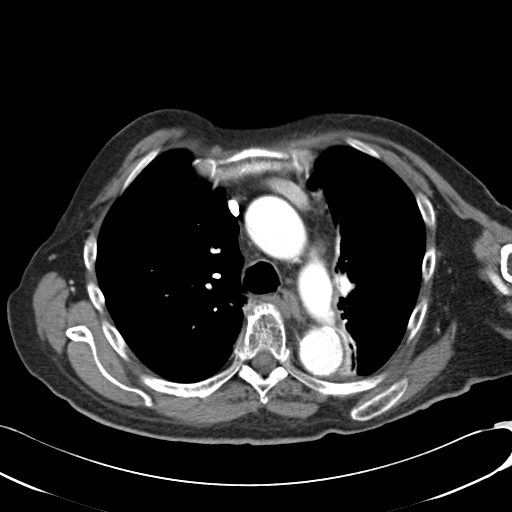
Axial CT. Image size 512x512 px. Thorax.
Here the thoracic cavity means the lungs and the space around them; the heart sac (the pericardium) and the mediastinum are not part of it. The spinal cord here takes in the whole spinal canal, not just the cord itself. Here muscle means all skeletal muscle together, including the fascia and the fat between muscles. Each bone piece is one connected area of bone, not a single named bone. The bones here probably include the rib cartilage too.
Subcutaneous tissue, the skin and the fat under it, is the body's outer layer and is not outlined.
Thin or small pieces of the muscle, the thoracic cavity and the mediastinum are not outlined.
{"bones":[{"outer":[[261,303],[271,303],[279,311],[292,361],[309,375],[331,382],[355,381],[382,372],[385,377],[367,390],[325,395],[289,374],[268,390],[264,403],[254,387],[236,374],[202,398],[149,387],[141,381],[142,373],[194,383],[227,367],[246,325],[243,307]],"hole":[[262,350],[265,350],[266,351],[268,351],[272,355],[272,356],[275,359],[275,360],[276,361],[276,364],[275,365],[275,366],[267,374],[262,374],[261,373],[259,373],[252,366],[252,360],[253,359],[253,358],[260,351],[261,351]]},[[249,146],[261,146],[283,151],[289,149],[305,149],[316,154],[309,171],[282,165],[278,170],[246,174],[235,179],[226,180],[213,188],[212,184],[206,178],[198,174],[192,165],[192,161],[195,158],[203,160],[208,158],[225,158]],[[405,378],[407,380],[407,386],[406,387],[406,389],[403,394],[393,406],[383,413],[364,421],[352,419],[350,415],[350,412],[353,408],[359,406],[364,402],[371,399],[376,395],[386,390],[392,384]],[[76,325],[84,325],[90,330],[93,337],[97,357],[104,369],[119,382],[126,386],[140,389],[146,393],[151,398],[151,406],[146,406],[144,403],[144,399],[138,393],[119,387],[101,373],[95,362],[90,345],[85,341],[74,341],[66,335],[66,329]],[[104,319],[105,320],[107,320],[117,329],[125,341],[126,344],[128,346],[129,348],[129,351],[128,352],[129,360],[128,361],[125,360],[113,348],[105,336],[103,332],[103,330],[102,329],[102,325],[101,324],[102,323],[102,321]],[[423,297],[425,297],[427,299],[427,308],[426,309],[424,317],[421,322],[421,324],[418,330],[414,336],[410,340],[410,341],[407,343],[406,341],[407,340],[407,333],[406,332],[406,329],[407,328],[407,325],[408,324],[410,316],[417,302],[418,302]],[[417,192],[421,192],[423,193],[429,199],[432,204],[433,210],[434,211],[434,215],[435,216],[435,223],[434,224],[434,227],[433,228],[428,227],[425,225],[425,223],[423,220],[422,215],[420,212],[419,207],[417,204],[417,202],[415,198],[415,194]],[[157,147],[161,147],[161,150],[160,152],[136,176],[136,177],[129,184],[129,185],[124,190],[124,191],[122,193],[121,193],[121,189],[122,188],[122,186],[125,180],[127,178],[128,175],[131,172],[133,168],[136,165],[138,161],[148,152]],[[91,233],[93,233],[96,236],[97,238],[97,247],[96,248],[96,257],[95,258],[95,263],[94,264],[94,270],[90,272],[88,271],[84,263],[84,259],[83,258],[83,248],[85,245],[85,243],[86,242],[86,239],[88,237],[89,234]],[[507,243],[511,243],[511,282],[509,282],[508,281],[507,281],[506,280],[505,280],[502,277],[502,276],[501,275],[501,271],[500,270],[500,258],[501,257],[501,255],[500,254],[500,250],[501,249],[501,247],[504,244],[506,244]],[[429,245],[433,245],[435,247],[435,264],[434,265],[434,269],[433,270],[433,273],[432,274],[431,277],[428,280],[428,281],[425,283],[422,280],[422,264],[423,263],[423,258],[424,257],[424,254],[425,253],[425,250],[426,249],[426,247]],[[89,281],[93,281],[95,283],[96,283],[98,285],[98,286],[103,295],[103,297],[105,300],[105,307],[104,308],[104,309],[103,310],[103,312],[102,313],[100,313],[98,311],[98,310],[94,306],[92,301],[89,297],[88,292],[86,289],[86,284]],[[348,136],[350,137],[352,137],[353,138],[356,138],[359,140],[361,140],[367,143],[380,155],[381,157],[381,159],[376,158],[371,155],[369,155],[366,153],[364,153],[346,144],[345,143],[345,141],[344,139]]],"thoracic_cavity":[[[175,149],[191,154],[191,165],[213,189],[220,186],[225,190],[227,207],[237,218],[243,259],[240,282],[246,297],[242,307],[245,325],[233,346],[232,359],[218,372],[194,382],[163,378],[135,355],[114,325],[95,271],[98,236],[110,208],[159,154]],[[334,145],[347,145],[386,164],[413,194],[425,226],[421,282],[405,333],[389,358],[377,370],[366,377],[349,381],[320,378],[327,378],[335,373],[342,364],[344,354],[331,307],[336,266],[335,228],[322,190],[319,187],[310,189],[307,185],[316,153]]],"left_arm":[[[502,203],[511,208],[511,321],[501,314],[495,311],[494,297],[493,296],[493,289],[492,288],[492,281],[491,280],[491,273],[490,272],[489,258],[488,257],[489,244],[490,243],[490,239],[491,238],[493,224],[496,219],[497,214],[499,211],[499,209]]],"torso":[[[165,107],[189,109],[228,127],[270,126],[321,111],[375,114],[402,122],[443,148],[501,203],[487,257],[494,311],[511,322],[511,375],[475,383],[375,429],[268,445],[137,435],[103,425],[54,394],[26,369],[13,345],[8,295],[105,142],[134,118]]],"mediastinum":[[[312,165],[306,185],[310,190],[321,190],[334,228],[330,307],[343,354],[337,370],[327,377],[311,375],[294,363],[284,320],[274,304],[247,303],[241,282],[244,259],[238,218],[231,213],[226,190],[220,185],[246,175],[278,171],[282,166],[309,172]]],"muscle":[{"outer":[[435,265],[433,299],[421,340],[431,344],[455,320],[454,355],[425,388],[392,410],[384,413],[406,391],[405,377],[353,407],[351,418],[335,412],[316,412],[305,419],[259,412],[198,427],[170,421],[146,408],[119,404],[84,384],[50,353],[38,335],[32,306],[34,290],[49,271],[65,278],[73,300],[84,298],[86,290],[97,311],[102,314],[106,308],[113,322],[104,318],[100,324],[109,344],[127,362],[130,350],[156,374],[142,372],[138,376],[143,384],[160,393],[202,399],[236,375],[253,387],[264,404],[269,390],[290,375],[321,395],[347,396],[378,385],[387,373],[373,374],[406,333],[407,344],[415,336],[428,308],[425,296],[417,301],[420,286],[432,277]],"hole":[[76,325],[84,325],[90,330],[93,337],[97,357],[104,369],[119,382],[126,386],[140,389],[146,393],[151,398],[151,406],[146,406],[144,403],[144,399],[138,393],[119,387],[101,373],[95,362],[90,345],[85,341],[74,341],[66,335],[66,329]]},[[173,126],[186,127],[227,149],[252,141],[271,142],[295,132],[307,132],[320,126],[368,132],[403,145],[432,166],[464,200],[511,228],[511,242],[504,243],[499,250],[500,275],[511,283],[511,314],[501,307],[494,287],[478,275],[481,264],[471,249],[471,242],[481,226],[471,218],[457,216],[436,190],[431,201],[421,191],[414,195],[373,147],[349,135],[343,139],[345,144],[334,144],[316,152],[305,148],[283,150],[249,145],[225,157],[204,159],[194,157],[189,151],[180,148],[161,152],[162,147],[157,146],[144,154],[127,175],[120,194],[103,219],[97,237],[93,232],[89,233],[97,212],[89,206],[117,173],[129,151],[152,132]],[[83,259],[83,263],[84,264],[85,268],[87,270],[87,271],[90,273],[94,271],[95,272],[95,275],[96,276],[96,279],[97,280],[97,283],[93,280],[89,280],[85,284],[85,287],[85,276],[84,275],[85,270],[84,269],[84,265],[82,263]]],"spinal_cord":[[[262,350],[265,350],[266,351],[268,351],[272,355],[272,356],[275,359],[275,360],[276,361],[276,364],[275,365],[275,366],[267,374],[262,374],[261,373],[259,373],[252,366],[252,360],[253,359],[253,358],[260,351],[261,351]]]}